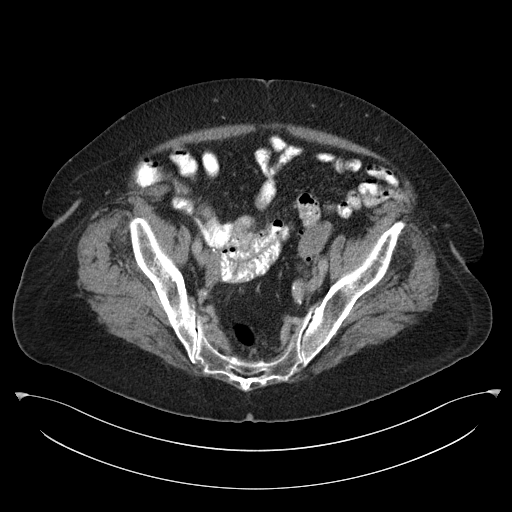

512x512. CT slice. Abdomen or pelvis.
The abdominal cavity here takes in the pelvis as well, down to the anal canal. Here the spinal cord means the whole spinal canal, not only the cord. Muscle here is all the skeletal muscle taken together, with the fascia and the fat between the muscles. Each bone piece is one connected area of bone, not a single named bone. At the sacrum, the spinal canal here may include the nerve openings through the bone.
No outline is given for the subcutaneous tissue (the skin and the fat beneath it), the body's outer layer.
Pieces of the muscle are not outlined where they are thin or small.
The bones are outlined by [[133,217],[148,222],[181,271],[188,302],[212,345],[225,355],[265,363],[296,338],[309,309],[364,259],[383,232],[398,220],[405,225],[383,277],[355,301],[307,365],[299,365],[287,381],[253,382],[244,391],[225,374],[205,374],[188,357],[135,260]], around a hole outlined by [[237,373],[240,373],[241,374],[258,374],[257,375],[255,375],[254,376],[249,376],[248,377],[245,377],[244,376],[242,376],[241,375],[240,375],[239,374],[238,374]]. The muscle appears in 2 outlined pieces: piece 1: [[265,122],[323,130],[395,164],[417,194],[414,212],[428,229],[435,250],[439,289],[430,311],[381,344],[365,346],[313,377],[248,391],[253,383],[287,382],[299,366],[306,367],[330,342],[356,301],[386,274],[406,225],[402,219],[383,231],[363,259],[332,283],[329,250],[340,235],[347,240],[361,237],[380,203],[405,196],[405,185],[389,165],[284,130],[257,129],[143,155],[139,162],[133,169],[134,180],[140,187],[167,186],[158,214],[177,229],[185,226],[191,234],[182,271],[162,249],[149,222],[133,216],[128,229],[134,260],[152,283],[191,363],[199,363],[205,375],[227,376],[241,390],[210,376],[191,375],[109,333],[79,295],[76,248],[90,215],[126,190],[128,179],[138,155],[192,130]]; piece 2: [[197,314],[199,314],[200,316],[205,318],[211,325],[215,326],[222,332],[223,335],[226,338],[229,344],[229,347],[231,350],[231,354],[230,355],[223,353],[213,345],[213,344],[207,337],[204,331],[203,324],[200,320],[200,318],[199,317],[198,319]]. The torso is outlined by [[231,77],[295,79],[346,91],[395,117],[432,150],[464,192],[483,235],[481,259],[468,267],[488,293],[492,326],[477,350],[364,404],[283,422],[223,422],[166,412],[24,354],[12,328],[12,304],[29,252],[51,223],[41,204],[56,172],[150,98]]. The abdominal cavity is outlined by [[257,130],[284,131],[369,156],[389,166],[404,185],[403,197],[386,199],[371,210],[361,236],[347,239],[340,234],[332,241],[331,284],[267,362],[231,355],[223,332],[190,304],[182,272],[192,234],[159,214],[168,186],[140,186],[134,175],[143,156]]. The spinal cord is outlined by [[237,373],[240,373],[241,374],[258,374],[257,375],[255,375],[254,376],[249,376],[248,377],[245,377],[244,376],[242,376],[241,375],[240,375],[239,374],[238,374]].